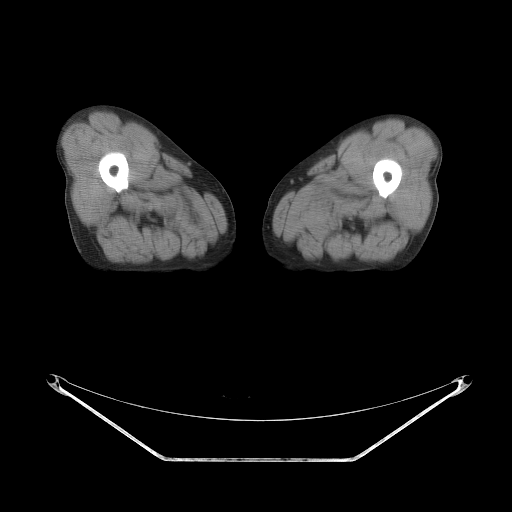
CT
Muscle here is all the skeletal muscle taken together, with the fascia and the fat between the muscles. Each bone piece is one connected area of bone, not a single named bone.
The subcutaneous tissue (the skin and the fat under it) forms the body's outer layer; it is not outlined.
The bones appear in 2 outlined pieces: piece 1: 111 151; 119 151; 120 152; 122 152; 126 157; 126 159; 128 163; 128 166; 129 167; 128 187; 126 189; 124 189; 120 192; 117 192; 115 191; 111 187; 109 187; 102 180; 97 168; 98 167; 98 162; 100 158; 104 154; piece 2: 382 158; 390 158; 391 159; 395 160; 399 163; 402 169; 402 175; 401 176; 401 179; 400 180; 400 182; 398 186; 392 193; 391 193; 385 198; 379 195; 378 191; 376 189; 372 180; 372 172; 373 171; 373 167; 375 163; 378 160. The left leg is outlined by 387 112; 405 113; 422 120; 436 132; 442 145; 443 156; 436 179; 438 207; 432 227; 418 255; 407 267; 394 273; 365 271; 323 274; 309 270; 293 272; 276 265; 267 255; 261 236; 263 215; 276 184; 300 160; 344 128; 366 117. The right leg is outlined by 94 104; 121 106; 145 117; 219 180; 230 197; 236 219; 235 245; 231 254; 222 263; 201 272; 174 271; 158 274; 98 272; 92 270; 84 263; 77 251; 69 227; 64 204; 65 176; 56 157; 55 142; 61 125; 72 113; 78 109. The muscle appears in 2 outlined pieces: piece 1: 92 109; 108 109; 131 115; 149 126; 183 160; 197 170; 218 197; 228 219; 227 230; 222 236; 218 247; 211 254; 196 263; 187 264; 121 264; 95 257; 71 201; 70 190; 73 178; 62 159; 59 145; 59 138; 67 123; 74 117 with a hole at 111 151; 119 151; 120 152; 122 152; 126 157; 126 159; 128 163; 128 166; 129 167; 128 187; 126 189; 124 189; 120 192; 117 192; 115 191; 111 187; 109 187; 102 180; 97 168; 98 167; 98 162; 100 158; 104 154; piece 2: 386 117; 415 119; 432 131; 438 142; 439 159; 433 174; 431 186; 433 210; 406 253; 398 259; 385 263; 375 262; 350 265; 318 264; 286 254; 279 247; 271 228; 276 200; 286 182; 293 176; 306 172; 309 166; 323 152; 347 134; inner edge: 382 158; 390 158; 391 159; 395 160; 399 163; 402 169; 402 175; 401 176; 401 179; 400 180; 400 182; 398 186; 392 193; 391 193; 385 198; 379 195; 378 191; 376 189; 372 180; 372 172; 373 171; 373 167; 375 163; 378 160.